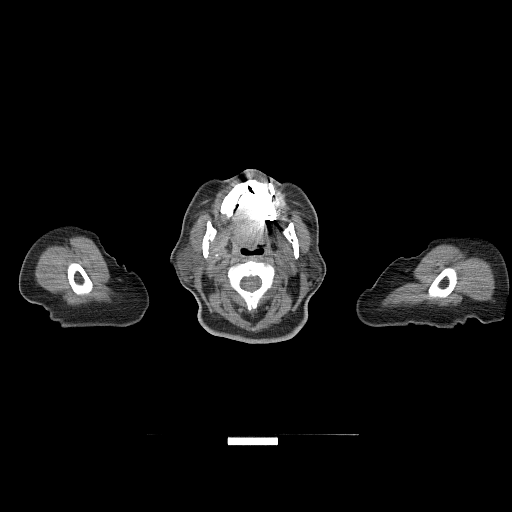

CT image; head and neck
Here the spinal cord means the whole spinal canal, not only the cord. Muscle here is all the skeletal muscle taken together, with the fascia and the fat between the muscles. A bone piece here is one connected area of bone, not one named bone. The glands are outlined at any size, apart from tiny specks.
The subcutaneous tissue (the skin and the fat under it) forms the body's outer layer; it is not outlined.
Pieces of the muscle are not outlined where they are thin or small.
{"bones":[{"outer":[[247,260],[261,261],[262,262],[268,263],[272,265],[275,270],[272,285],[259,299],[257,303],[257,306],[255,308],[253,308],[250,310],[247,309],[247,305],[244,299],[231,287],[229,283],[229,279],[227,276],[227,271],[230,266],[237,263],[243,263]],"hole":[[250,276],[257,276],[260,279],[260,285],[259,286],[259,287],[258,287],[256,289],[255,289],[252,291],[249,291],[248,290],[246,290],[245,289],[244,289],[243,288],[242,288],[240,285],[240,282],[241,281],[241,280],[244,277],[249,277]]},[[248,175],[261,182],[271,182],[273,184],[275,190],[278,193],[282,208],[283,218],[281,220],[277,218],[273,200],[264,192],[255,189],[248,190],[242,194],[234,206],[232,211],[234,213],[231,217],[227,219],[220,212],[223,198],[235,184],[244,181]],[[446,267],[452,267],[456,271],[456,274],[457,275],[457,281],[454,288],[452,290],[452,291],[447,296],[445,297],[442,297],[441,298],[440,297],[427,297],[427,291],[428,290],[429,286],[431,284],[433,280],[436,277],[436,276],[444,268]],[[72,262],[75,262],[76,263],[80,264],[85,270],[86,273],[91,280],[92,284],[93,285],[93,287],[91,291],[89,293],[87,294],[82,294],[81,295],[78,295],[76,293],[75,293],[72,289],[69,283],[68,278],[67,277],[67,268],[69,264]],[[207,220],[210,220],[212,225],[216,229],[216,234],[214,238],[209,242],[209,248],[208,249],[208,256],[206,258],[205,258],[203,256],[203,253],[202,252],[202,248],[201,247],[201,245],[202,244],[203,236],[206,230],[206,224],[207,223]],[[290,221],[291,221],[293,223],[293,227],[294,228],[294,230],[295,231],[295,233],[298,240],[298,244],[299,245],[299,256],[298,258],[296,259],[294,257],[294,254],[293,253],[293,247],[291,243],[287,239],[287,238],[283,233],[283,229],[287,226]]],"left_arm":[[[449,234],[482,237],[493,243],[501,252],[507,267],[509,286],[503,318],[500,321],[484,324],[475,318],[469,318],[464,324],[458,324],[449,329],[414,324],[372,327],[358,319],[355,309],[358,295],[371,286],[392,261],[400,256],[415,256],[432,239]]],"spinal_cord":[[[250,276],[257,276],[260,279],[260,285],[259,286],[259,287],[258,287],[256,289],[255,289],[252,291],[249,291],[248,290],[246,290],[245,289],[244,289],[243,288],[242,288],[240,285],[240,282],[241,281],[241,280],[244,277],[249,277]]],"parotid_glands":[[[190,242],[192,242],[197,248],[197,251],[198,252],[198,255],[199,256],[199,267],[193,274],[190,281],[188,281],[185,279],[185,278],[182,275],[180,271],[180,269],[178,266],[178,262],[177,261],[177,256],[178,255],[178,252],[182,248],[182,247]],[[308,251],[311,252],[313,254],[313,255],[317,260],[318,262],[318,264],[319,265],[319,275],[316,275],[315,277],[313,278],[312,278],[309,275],[307,275],[301,269],[301,266],[302,265],[302,263],[305,259],[305,255],[308,252]]],"right_arm":[[[63,225],[75,225],[96,233],[105,250],[120,264],[124,264],[128,270],[134,271],[141,278],[147,289],[150,303],[139,322],[125,327],[93,326],[64,328],[57,322],[52,321],[43,307],[31,303],[22,297],[18,288],[18,276],[28,249],[42,234]]],"head_and_neck":[{"outer":[[246,169],[257,169],[279,182],[296,184],[305,192],[317,215],[318,245],[326,271],[320,286],[307,302],[305,324],[293,337],[283,341],[246,343],[208,332],[198,320],[196,299],[179,282],[169,261],[181,231],[185,211],[198,187],[209,179],[226,179]],"hole":[[258,248],[261,248],[261,249],[262,250],[262,252],[261,253],[260,253],[259,254],[244,254],[243,253],[242,253],[242,249],[245,249],[246,250],[248,250],[249,251],[250,251],[251,252],[252,251],[253,251],[254,250],[255,250],[256,249],[257,249]]}],"muscle":[{"outer":[[236,180],[240,181],[232,186],[220,203],[219,212],[225,219],[227,220],[234,215],[235,206],[244,193],[255,190],[264,193],[272,200],[276,218],[281,221],[284,218],[284,213],[279,193],[274,184],[293,193],[303,204],[309,217],[310,251],[308,250],[304,255],[300,269],[312,279],[310,288],[291,320],[278,327],[260,332],[246,331],[213,319],[191,280],[200,267],[198,248],[192,241],[187,243],[193,211],[206,195]],"holes":[[[247,260],[261,261],[262,262],[268,263],[272,265],[275,270],[272,285],[259,299],[257,303],[257,306],[255,308],[253,308],[250,310],[247,309],[247,305],[244,299],[231,287],[229,283],[229,279],[227,276],[227,271],[230,266],[237,263],[243,263]],[[207,220],[210,220],[212,225],[216,229],[216,234],[214,238],[209,242],[209,248],[208,249],[208,256],[206,258],[205,258],[203,256],[203,253],[202,252],[202,248],[201,247],[201,245],[202,244],[203,236],[206,230],[206,224],[207,223]],[[290,221],[291,221],[293,223],[293,227],[294,228],[294,230],[295,231],[295,233],[298,240],[298,244],[299,245],[299,256],[298,258],[296,259],[294,257],[294,254],[293,253],[293,247],[291,243],[287,239],[287,238],[283,233],[283,229],[287,226]],[[258,248],[261,248],[261,249],[262,250],[262,252],[261,253],[260,253],[259,254],[244,254],[243,253],[242,253],[242,249],[245,249],[246,250],[248,250],[249,251],[250,251],[251,252],[252,251],[253,251],[254,250],[255,250],[256,249],[257,249]]]},{"outer":[[442,243],[453,244],[466,251],[468,256],[481,257],[491,263],[496,282],[493,296],[495,301],[489,303],[460,303],[456,306],[445,307],[440,307],[435,304],[422,304],[406,307],[380,308],[380,302],[384,297],[410,275],[415,266],[432,248]],"hole":[[446,267],[452,267],[456,271],[456,274],[457,275],[457,281],[454,288],[452,290],[452,291],[447,296],[445,297],[442,297],[441,298],[440,297],[427,297],[427,291],[428,290],[429,286],[431,284],[433,280],[436,277],[436,276],[444,268]]},{"outer":[[72,235],[84,235],[92,239],[99,249],[108,266],[109,271],[118,292],[119,296],[117,297],[115,302],[110,304],[82,304],[78,306],[69,306],[66,304],[59,294],[51,293],[36,283],[34,279],[34,268],[39,254],[48,245],[61,244],[65,237]],"hole":[[72,262],[75,262],[76,263],[80,264],[85,270],[86,273],[91,280],[92,284],[93,285],[93,287],[91,291],[89,293],[87,294],[82,294],[81,295],[78,295],[76,293],[75,293],[72,289],[69,283],[68,278],[67,277],[67,268],[69,264]]}]}